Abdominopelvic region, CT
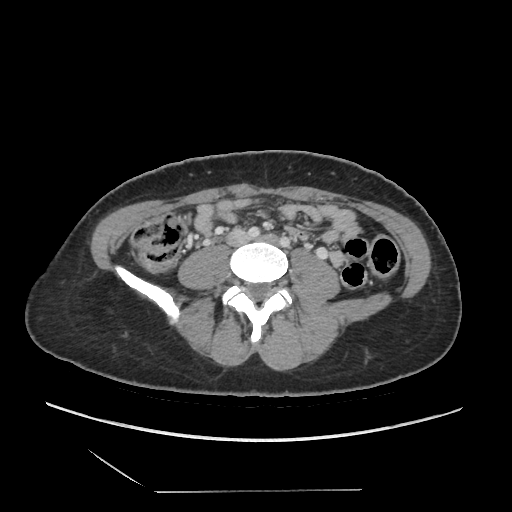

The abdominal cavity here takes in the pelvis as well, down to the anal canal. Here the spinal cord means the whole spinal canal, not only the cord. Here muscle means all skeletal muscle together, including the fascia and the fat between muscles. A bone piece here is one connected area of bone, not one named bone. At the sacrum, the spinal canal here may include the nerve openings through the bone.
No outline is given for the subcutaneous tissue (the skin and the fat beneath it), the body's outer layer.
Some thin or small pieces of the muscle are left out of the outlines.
{"spinal_cord":[[[250,283],[271,283],[271,285],[272,286],[271,288],[271,290],[272,292],[271,294],[270,294],[269,296],[263,301],[261,302],[256,302],[254,301],[248,295],[247,293],[247,291],[248,290],[248,287],[247,286]]],"abdominal_cavity":[[[264,194],[347,206],[370,217],[402,251],[402,284],[366,297],[332,300],[341,287],[327,262],[303,247],[292,249],[289,258],[265,240],[235,248],[218,243],[192,252],[177,269],[183,288],[158,285],[135,274],[116,260],[116,253],[148,220],[190,205]]],"torso":[[[249,150],[305,150],[345,158],[381,173],[422,204],[453,256],[461,291],[459,330],[453,345],[440,360],[412,375],[366,389],[298,397],[241,397],[183,393],[123,383],[59,359],[31,340],[24,324],[28,292],[74,225],[102,195],[133,176],[167,163]]],"bones":[{"outer":[[254,241],[268,242],[285,252],[288,258],[288,270],[280,280],[281,285],[289,292],[292,303],[273,312],[261,327],[261,338],[252,343],[250,340],[252,324],[248,317],[243,312],[237,312],[232,306],[224,305],[221,297],[239,280],[229,265],[232,252]],"hole":[[250,283],[271,283],[271,285],[272,286],[271,288],[271,290],[272,292],[271,294],[270,294],[269,296],[263,301],[261,302],[256,302],[254,301],[248,295],[247,293],[247,291],[248,290],[248,287],[247,286]]},[[115,264],[120,264],[122,265],[140,278],[150,283],[157,285],[167,291],[172,296],[174,301],[178,305],[180,309],[180,315],[177,323],[176,324],[171,324],[170,323],[170,318],[154,301],[150,299],[146,295],[127,285],[118,276],[114,270],[114,265]]],"muscle":[[[237,183],[315,187],[394,209],[415,222],[424,235],[431,257],[427,281],[415,295],[397,299],[368,319],[354,322],[321,355],[298,369],[278,371],[256,353],[236,366],[203,356],[172,326],[178,323],[181,309],[160,286],[183,289],[177,276],[181,263],[208,246],[226,244],[234,249],[228,265],[238,280],[220,299],[224,306],[247,317],[252,344],[262,338],[262,327],[270,316],[293,303],[281,280],[289,270],[290,252],[294,249],[307,249],[336,272],[340,289],[332,301],[366,298],[403,284],[403,251],[384,226],[370,216],[347,205],[266,193],[190,204],[148,219],[116,251],[118,263],[113,270],[117,275],[98,268],[89,242],[94,227],[107,213],[139,201],[169,199]],[[139,293],[140,293],[141,294],[142,294],[143,295],[146,296],[150,300],[151,300],[153,302],[154,302],[162,310],[162,311],[169,318],[169,321],[168,320],[168,319],[166,317],[166,316],[156,306],[155,306],[151,302],[150,302],[147,299],[146,299]]]}